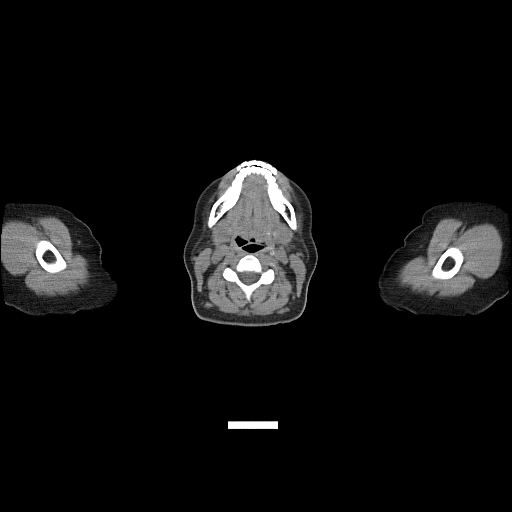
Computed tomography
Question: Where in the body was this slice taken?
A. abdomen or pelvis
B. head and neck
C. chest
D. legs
Answer: B. head and neck
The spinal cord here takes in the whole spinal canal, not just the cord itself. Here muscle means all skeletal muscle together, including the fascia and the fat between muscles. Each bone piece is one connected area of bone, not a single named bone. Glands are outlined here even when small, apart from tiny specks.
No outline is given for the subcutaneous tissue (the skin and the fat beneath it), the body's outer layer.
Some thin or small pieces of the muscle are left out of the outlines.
Outlined structures:
muscle 1: (234, 170) (230, 184) (212, 204) (207, 219) (216, 245) (229, 239) (230, 226) (220, 218) (237, 202) (247, 176) (257, 174) (264, 178) (269, 201) (286, 222) (279, 221) (272, 227) (273, 237) (280, 246) (292, 240) (297, 221) (294, 207) (279, 187) (276, 175) (279, 173) (289, 183) (299, 199) (303, 213) (302, 235) (309, 259) (300, 296) (283, 314) (237, 315) (207, 309) (201, 303) (191, 260) (192, 249) (201, 233) (207, 200) with holes at (249, 253) (252, 253) (258, 258) (266, 268) (269, 263) (273, 264) (271, 267) (274, 272) (274, 279) (269, 284) (262, 284) (257, 287) (252, 292) (250, 301) (246, 301) (244, 293) (240, 287) (236, 283) (228, 281) (223, 277) (223, 270) (227, 266) (234, 266) (240, 258) and at (238, 237) (240, 238) (246, 238) (248, 240) (249, 240) (250, 238) (251, 238) (254, 240) (253, 241) (255, 242) (256, 244) (259, 244) (261, 245) (261, 248) (255, 251) (248, 251) (242, 248) (241, 246) (238, 245) (236, 241) (236, 238)
muscle 2: (445, 217) (455, 217) (465, 220) (491, 223) (497, 227) (503, 241) (501, 260) (497, 270) (483, 283) (461, 295) (450, 297) (447, 299) (427, 299) (424, 297) (415, 296) (408, 292) (404, 292) (398, 289) (393, 282) (399, 268) (410, 259) (425, 252) (429, 239) (437, 222), around a hole outlined by (451, 246) (459, 248) (459, 249) (461, 251) (463, 255) (463, 261) (458, 271) (452, 277) (448, 278) (447, 279) (436, 279) (434, 278) (431, 274) (432, 269) (434, 267) (436, 262) (438, 260) (440, 256) (445, 251) (445, 250) (446, 250)
muscle 3: (31, 214) (51, 215) (60, 219) (67, 226) (71, 236) (77, 240) (83, 250) (90, 265) (91, 278) (89, 280) (89, 283) (82, 287) (77, 292) (70, 293) (67, 295) (38, 296) (29, 290) (19, 277) (12, 275) (4, 270) (2, 267) (1, 265) (2, 224) (12, 217); inner edge: (43, 239) (44, 240) (48, 240) (52, 244) (53, 244) (53, 245) (60, 253) (66, 263) (66, 267) (64, 269) (58, 272) (51, 273) (50, 272) (48, 272) (41, 266) (36, 257) (36, 255) (35, 254) (35, 248) (36, 247) (36, 244) (40, 240) (42, 240)
right arm: (15, 199) (23, 201) (47, 202) (62, 206) (70, 210) (89, 226) (92, 233) (101, 245) (101, 260) (103, 265) (119, 283) (118, 296) (110, 307) (96, 313) (78, 312) (70, 315) (45, 315) (34, 317) (22, 313) (5, 303) (1, 271) (2, 224) (6, 203) (9, 200)
submandibular glands 1: (220, 219) (223, 219) (225, 220) (225, 221) (228, 224) (229, 226) (229, 236) (228, 237) (228, 239) (227, 241) (226, 241) (224, 243) (222, 243) (221, 244) (216, 244) (214, 243) (212, 239) (212, 229) (214, 225) (218, 221) (218, 220)
submandibular glands 2: (279, 222) (284, 222) (285, 223) (286, 223) (288, 225) (288, 226) (292, 230) (292, 237) (291, 238) (291, 240) (287, 244) (286, 244) (285, 245) (280, 245) (278, 243) (277, 243) (277, 242) (274, 237) (274, 232) (273, 231) (273, 227) (274, 226) (274, 225) (275, 225)
bones 1: (250, 160) (260, 160) (276, 168) (277, 185) (293, 207) (296, 221) (295, 230) (289, 226) (283, 216) (273, 207) (267, 192) (266, 180) (261, 174) (257, 173) (251, 173) (244, 178) (234, 205) (212, 227) (208, 227) (211, 208) (231, 184) (237, 173) (235, 168) (242, 162)
bones 2: (249, 253) (252, 253) (258, 258) (266, 268) (269, 263) (273, 264) (271, 267) (274, 272) (274, 279) (269, 284) (262, 284) (257, 287) (252, 292) (250, 301) (246, 301) (244, 293) (240, 287) (236, 283) (228, 281) (223, 277) (223, 270) (227, 266) (234, 266) (240, 258), around a hole outlined by (240, 272) (255, 272) (256, 273) (258, 273) (259, 274) (259, 277) (258, 278) (258, 279) (256, 281) (255, 281) (254, 282) (253, 282) (250, 284) (246, 284) (245, 283) (244, 283) (240, 279) (240, 278) (238, 275) (238, 273) (239, 273)
bones 3: (451, 246) (459, 248) (459, 249) (461, 251) (463, 255) (463, 261) (458, 271) (452, 277) (448, 278) (447, 279) (436, 279) (434, 278) (431, 274) (432, 269) (434, 267) (436, 262) (438, 260) (440, 256) (445, 251) (445, 250) (446, 250)
bones 4: (43, 239) (44, 240) (48, 240) (52, 244) (53, 244) (53, 245) (60, 253) (66, 263) (66, 267) (64, 269) (58, 272) (51, 273) (50, 272) (48, 272) (41, 266) (36, 257) (36, 255) (35, 254) (35, 248) (36, 247) (36, 244) (40, 240) (42, 240)
spinal cord: (240, 272) (255, 272) (256, 273) (258, 273) (259, 274) (259, 277) (258, 278) (258, 279) (256, 281) (255, 281) (254, 282) (253, 282) (250, 284) (246, 284) (245, 283) (244, 283) (240, 279) (240, 278) (238, 275) (238, 273) (239, 273)
head and neck: (248, 158) (261, 158) (275, 164) (278, 169) (302, 188) (311, 203) (311, 231) (317, 249) (317, 263) (307, 289) (305, 308) (297, 319) (289, 323) (261, 327) (217, 324) (200, 319) (192, 307) (191, 284) (183, 261) (183, 248) (192, 228) (194, 207) (197, 198) (210, 182) with a hole at (238, 237) (240, 238) (246, 238) (248, 240) (249, 240) (250, 238) (251, 238) (254, 240) (253, 241) (255, 242) (256, 244) (259, 244) (261, 245) (261, 248) (255, 251) (248, 251) (242, 248) (241, 246) (238, 245) (236, 241) (236, 238)
left arm: (474, 199) (494, 203) (505, 209) (507, 213) (510, 237) (508, 293) (490, 307) (476, 315) (418, 315) (407, 311) (397, 311) (384, 305) (376, 297) (374, 292) (378, 276) (388, 257) (395, 249) (404, 243) (405, 236) (421, 222) (423, 213) (428, 208) (437, 204) (456, 200)